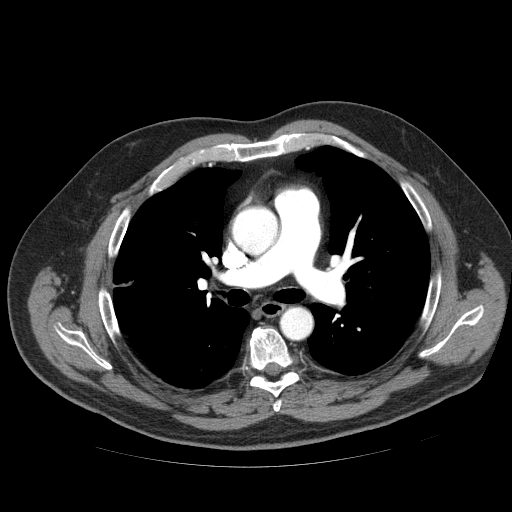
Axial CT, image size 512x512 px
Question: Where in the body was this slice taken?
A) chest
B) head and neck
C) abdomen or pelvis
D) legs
Answer: A) chest
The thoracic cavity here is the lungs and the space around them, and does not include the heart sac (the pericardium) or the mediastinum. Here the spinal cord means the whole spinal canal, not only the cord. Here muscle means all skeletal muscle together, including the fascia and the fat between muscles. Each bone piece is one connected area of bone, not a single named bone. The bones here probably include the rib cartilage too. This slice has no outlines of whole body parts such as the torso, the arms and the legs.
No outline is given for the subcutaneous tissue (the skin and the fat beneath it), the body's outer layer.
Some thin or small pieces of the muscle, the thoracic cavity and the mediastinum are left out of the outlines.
{"spinal_cord":[[[269,363],[275,363],[276,364],[277,364],[281,368],[281,371],[280,372],[280,373],[276,377],[270,377],[269,376],[268,376],[265,373],[265,372],[264,371],[264,370],[265,369],[265,367]]],"pericardium":[[[270,169],[274,169],[289,178],[305,181],[313,186],[318,193],[321,215],[321,245],[313,266],[302,272],[280,273],[261,266],[251,259],[247,258],[244,253],[235,246],[227,236],[228,223],[237,205],[247,195],[248,192],[261,177],[265,175],[267,171]]],"mediastinum":[{"outer":[[314,147],[300,154],[294,165],[321,178],[329,201],[331,280],[325,297],[329,304],[316,301],[309,306],[314,327],[307,351],[290,350],[270,325],[255,326],[243,341],[250,315],[243,307],[230,305],[214,283],[222,256],[225,195],[242,171],[196,167]],"hole":[[270,169],[274,169],[289,178],[305,181],[313,186],[318,193],[321,215],[321,245],[313,266],[302,272],[280,273],[261,266],[251,259],[247,258],[244,253],[235,246],[227,236],[228,223],[237,205],[247,195],[248,192],[261,177],[265,175],[267,171]]}],"thoracic_cavity":[[[205,166],[241,171],[225,191],[221,256],[213,283],[225,293],[223,299],[230,306],[248,313],[242,337],[243,342],[247,340],[248,352],[239,366],[225,376],[200,389],[184,389],[153,374],[130,347],[114,309],[112,270],[130,220],[142,203],[189,171]],[[324,145],[368,159],[384,170],[398,183],[428,238],[430,274],[415,327],[393,357],[359,375],[329,370],[301,353],[309,350],[308,338],[315,327],[310,306],[330,304],[326,297],[332,280],[328,251],[331,211],[322,178],[314,171],[299,169],[295,160]]],"muscle":[{"outer":[[301,118],[337,123],[419,172],[454,231],[493,261],[504,280],[504,307],[491,345],[477,360],[437,373],[355,417],[308,422],[277,414],[217,431],[119,401],[69,378],[47,359],[27,308],[37,273],[83,245],[108,196],[185,142],[220,132],[258,140],[220,142],[181,155],[151,182],[132,215],[126,205],[116,218],[107,244],[113,287],[111,294],[103,285],[97,292],[112,344],[117,348],[123,336],[153,375],[179,389],[203,389],[236,369],[242,384],[272,395],[277,413],[281,392],[309,376],[307,358],[329,371],[359,376],[393,358],[417,324],[422,336],[443,281],[439,267],[430,276],[427,233],[433,224],[424,200],[407,179],[396,181],[335,134],[298,131],[266,138]],"holes":[[[57,322],[59,322],[65,328],[67,328],[71,330],[81,330],[86,337],[86,339],[92,349],[99,356],[108,361],[112,365],[112,369],[110,369],[109,370],[102,367],[79,346],[77,345],[73,345],[66,342],[56,332],[54,328],[54,325]],[[480,304],[483,306],[483,313],[481,317],[475,324],[473,325],[469,324],[462,324],[460,325],[453,332],[446,342],[437,351],[423,358],[420,358],[418,356],[418,353],[424,349],[432,347],[438,342],[441,341],[448,334],[452,326],[456,321],[465,312]]]}],"bones":[[[298,132],[319,132],[335,135],[365,152],[368,155],[369,159],[357,156],[339,147],[324,144],[249,161],[206,161],[186,172],[168,187],[147,197],[148,189],[157,176],[181,156],[195,149],[209,147],[220,143],[250,143],[259,140],[275,138],[282,134]],{"outer":[[257,326],[275,328],[285,341],[288,349],[292,352],[300,353],[310,367],[307,377],[286,386],[280,392],[279,398],[281,404],[277,412],[272,407],[275,400],[273,395],[262,388],[242,383],[243,376],[237,369],[243,357],[249,352],[248,340],[252,330]],"hole":[[269,363],[275,363],[276,364],[277,364],[281,368],[281,371],[280,372],[280,373],[276,377],[270,377],[269,376],[268,376],[265,373],[265,372],[264,371],[264,370],[265,369],[265,367]]},[[102,286],[103,286],[111,295],[111,299],[112,300],[115,317],[117,320],[119,329],[122,334],[121,337],[117,337],[116,338],[117,347],[113,344],[111,339],[109,337],[109,335],[103,323],[99,309],[99,305],[98,304],[98,292],[100,287]],[[439,268],[441,270],[442,281],[441,282],[441,287],[440,288],[440,292],[439,293],[437,305],[434,314],[432,317],[432,319],[426,331],[421,335],[422,328],[418,323],[418,321],[420,318],[420,316],[422,313],[425,304],[430,277],[435,271]],[[57,322],[59,322],[65,328],[67,328],[71,330],[81,330],[86,337],[86,339],[92,349],[99,356],[108,361],[112,365],[112,369],[110,369],[109,370],[102,367],[79,346],[77,345],[73,345],[66,342],[56,332],[54,328],[54,325]],[[400,178],[403,178],[407,180],[413,186],[413,187],[417,191],[423,200],[425,204],[425,206],[428,210],[428,212],[431,219],[432,229],[430,232],[426,232],[424,229],[424,227],[416,211],[414,209],[410,201],[400,186],[398,182],[398,180]],[[480,304],[483,306],[483,313],[481,317],[475,324],[473,325],[469,324],[462,324],[460,325],[453,332],[446,342],[437,351],[423,358],[420,358],[418,356],[418,353],[424,349],[432,347],[438,342],[441,341],[448,334],[452,326],[456,321],[465,312]],[[126,206],[129,206],[131,209],[131,217],[129,220],[129,222],[127,225],[125,233],[121,241],[117,255],[113,260],[112,259],[110,259],[108,257],[108,244],[109,243],[109,239],[110,238],[112,230],[114,227],[114,225],[117,218],[119,216],[122,210]]]}